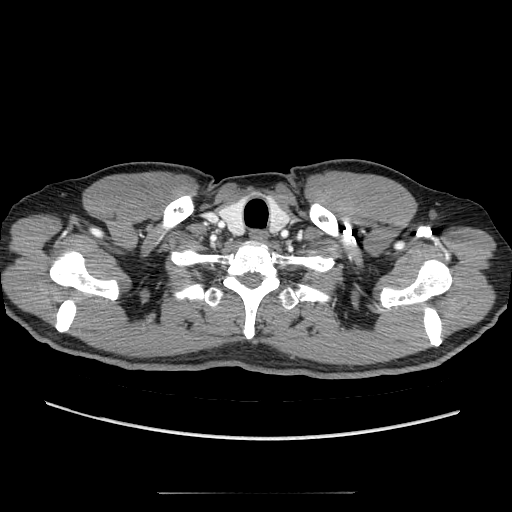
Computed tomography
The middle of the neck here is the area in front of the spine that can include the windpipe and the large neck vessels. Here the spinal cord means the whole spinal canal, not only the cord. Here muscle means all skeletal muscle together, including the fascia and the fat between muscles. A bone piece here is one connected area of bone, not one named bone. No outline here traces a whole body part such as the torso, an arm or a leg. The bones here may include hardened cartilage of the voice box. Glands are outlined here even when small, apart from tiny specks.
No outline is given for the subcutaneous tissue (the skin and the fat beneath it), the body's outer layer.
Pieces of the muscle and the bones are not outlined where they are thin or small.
Outlines (x, y in pixels):
muscle: 327 169; 405 187; 418 203; 408 233; 418 242; 437 243; 452 225; 495 241; 486 272; 495 303; 443 342; 442 320; 426 302; 452 285; 445 262; 426 259; 408 285; 381 288; 379 313; 422 304; 432 347; 425 350; 347 365; 245 340; 127 357; 64 333; 77 296; 58 306; 54 328; 5 291; 11 225; 49 213; 65 230; 91 231; 99 223; 81 194; 104 176; 168 170; 204 187; 263 187 with holes at 248 194; 270 195; 297 220; 289 238; 266 243; 270 250; 334 260; 328 270; 307 276; 303 266; 290 265; 287 278; 327 290; 336 300; 333 305; 332 300; 300 301; 286 310; 278 291; 271 291; 257 307; 250 339; 242 331; 243 301; 233 290; 223 287; 215 307; 173 296; 185 284; 216 284; 219 265; 178 266; 170 258; 171 251; 185 249; 200 254; 234 252; 245 240; 220 229; 212 217 and at 66 250; 74 250; 79 252; 85 259; 85 266; 88 272; 92 276; 98 279; 115 279; 117 281; 119 287; 118 297; 115 300; 111 300; 109 298; 106 298; 99 295; 78 292; 69 286; 63 286; 53 281; 50 277; 49 269; 53 261 and at 188 194; 194 194; 192 197; 193 199; 193 202; 194 203; 194 209; 193 211; 185 218; 177 223; 174 226; 168 229; 165 229; 162 225; 162 221; 163 220; 163 212; 166 206; 167 206; 172 201; 175 200; 177 198; 183 195; 187 195 and at 311 203; 318 203; 320 204; 326 208; 334 215; 337 221; 337 229; 335 231; 334 230; 333 231; 333 232; 335 233; 335 235; 332 235; 331 234; 327 233; 323 229; 319 227; 311 220; 309 216; 309 213; 308 212; 309 210; 309 206
middle of the neck: 248 194; 264 194; 269 209; 268 229; 273 235; 285 227; 290 216; 297 220; 295 231; 291 232; 289 238; 271 239; 266 243; 255 239; 244 239; 230 235; 212 221; 212 217; 218 214; 230 232; 234 235; 242 235; 245 231; 243 208
bones 1: 245 240; 284 255; 332 258; 331 268; 307 276; 290 265; 287 278; 327 290; 334 304; 300 301; 286 310; 271 291; 247 339; 245 307; 233 290; 223 287; 215 307; 176 299; 185 284; 216 284; 219 265; 178 266; 171 251; 228 254 with a hole at 248 272; 249 272; 250 273; 259 273; 263 277; 262 278; 260 283; 257 286; 256 286; 253 288; 251 288; 250 287; 248 287; 247 286; 246 286; 239 279; 239 277; 240 276; 241 276; 242 275; 243 275; 245 273; 247 273
bones 2: 429 259; 437 259; 445 263; 452 278; 451 285; 446 291; 425 302; 437 312; 441 320; 442 342; 436 347; 430 345; 424 328; 422 303; 391 306; 385 311; 378 311; 382 288; 390 286; 400 289; 408 286; 416 278; 423 262
bones 3: 66 250; 74 250; 79 252; 85 259; 85 266; 88 272; 92 276; 98 279; 115 279; 117 281; 119 287; 118 297; 115 300; 111 300; 109 298; 106 298; 99 295; 78 292; 69 286; 63 286; 53 281; 50 277; 49 269; 53 261
bones 4: 188 194; 194 194; 192 197; 193 199; 193 202; 194 203; 194 209; 193 211; 185 218; 177 223; 174 226; 168 229; 165 229; 162 225; 162 221; 163 220; 163 212; 166 206; 167 206; 172 201; 175 200; 177 198; 183 195; 187 195
bones 5: 311 203; 318 203; 320 204; 326 208; 334 215; 337 221; 337 229; 335 231; 334 230; 333 231; 333 232; 335 233; 335 235; 332 235; 331 234; 327 233; 323 229; 319 227; 311 220; 309 216; 309 213; 308 212; 309 210; 309 206
bones 6: 75 297; 77 297; 77 298; 75 300; 75 304; 76 305; 76 313; 74 316; 74 318; 68 330; 66 332; 64 332; 63 333; 59 332; 54 326; 54 324; 56 321; 56 313; 58 310; 58 308; 64 300; 68 299; 69 298; 74 298
spinal cord: 248 272; 249 272; 250 273; 259 273; 263 277; 262 278; 260 283; 257 286; 256 286; 253 288; 251 288; 250 287; 248 287; 247 286; 246 286; 239 279; 239 277; 240 276; 241 276; 242 275; 243 275; 245 273; 247 273
thyroid glands 1: 244 196; 247 196; 247 199; 245 201; 245 203; 243 205; 242 208; 242 219; 244 224; 244 231; 242 234; 239 235; 238 234; 234 234; 229 230; 226 222; 223 218; 221 217; 219 214; 219 212; 223 207; 230 204; 234 201; 236 201
thyroid glands 2: 264 195; 270 195; 275 200; 275 201; 279 205; 279 206; 284 210; 285 210; 289 214; 289 220; 288 222; 284 226; 284 227; 283 227; 276 234; 273 234; 269 229; 270 209; 269 208; 268 203; 266 201; 266 199; 264 197